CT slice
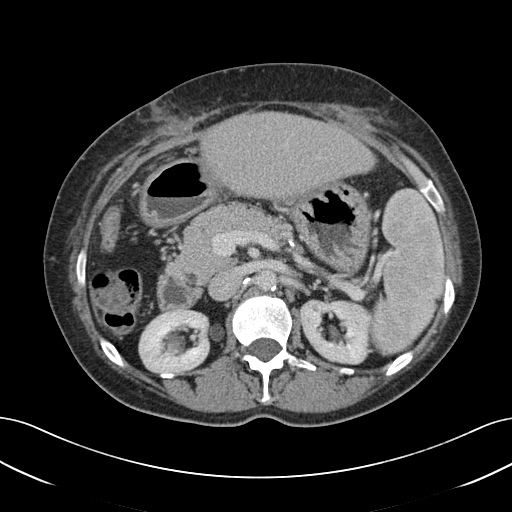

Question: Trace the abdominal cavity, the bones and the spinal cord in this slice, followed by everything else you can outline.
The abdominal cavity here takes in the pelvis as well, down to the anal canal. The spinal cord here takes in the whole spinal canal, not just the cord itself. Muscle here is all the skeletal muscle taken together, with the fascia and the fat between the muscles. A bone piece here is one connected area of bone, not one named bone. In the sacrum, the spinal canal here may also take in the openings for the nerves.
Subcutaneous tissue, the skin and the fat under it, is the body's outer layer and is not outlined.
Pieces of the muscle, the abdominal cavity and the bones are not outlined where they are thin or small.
Answer: Outlines (x, y in pixels):
abdominal cavity: [[273,104],[342,122],[416,184],[436,212],[445,254],[437,313],[411,349],[384,365],[354,369],[305,349],[297,306],[290,311],[280,297],[256,294],[226,316],[219,356],[182,375],[151,377],[128,362],[94,321],[86,264],[96,219],[148,159]]
bones 1: [[265,294],[283,300],[290,312],[292,327],[286,344],[287,350],[316,368],[311,370],[292,367],[285,361],[281,368],[270,372],[270,399],[263,403],[260,401],[262,376],[258,371],[250,369],[246,361],[241,360],[245,351],[233,333],[231,319],[241,301]], around a hole outlined by [[260,338],[269,338],[270,339],[272,339],[276,341],[280,346],[280,350],[270,359],[266,361],[263,361],[259,358],[258,358],[256,356],[253,355],[250,352],[249,350],[249,347],[250,345],[255,340],[257,339],[259,339]]
bones 2: [[403,156],[405,156],[409,158],[427,177],[431,179],[433,182],[433,184],[435,186],[436,189],[443,200],[444,206],[445,207],[445,211],[444,212],[442,213],[438,213],[435,210],[430,202],[426,198],[424,194],[420,191],[416,182],[401,159]]
bones 3: [[100,336],[103,336],[106,339],[107,339],[115,347],[117,351],[122,357],[123,359],[123,361],[125,363],[125,366],[124,367],[121,367],[119,366],[117,364],[111,361],[107,357],[107,356],[104,353],[100,345],[100,343],[99,342],[99,337]]
bones 4: [[412,349],[413,350],[413,355],[412,356],[412,358],[411,360],[404,367],[403,367],[401,369],[400,369],[398,371],[397,371],[395,373],[391,375],[386,375],[385,374],[386,367],[389,363],[390,363],[399,355],[409,350],[411,350]]
bones 5: [[82,248],[86,248],[86,263],[85,264],[85,285],[84,286],[84,287],[82,287],[81,286],[80,286],[78,284],[78,282],[77,281],[77,277],[76,276],[76,262],[77,261],[77,256],[78,255],[78,254],[79,253],[79,252],[80,251],[80,250]]
bones 6: [[446,276],[448,276],[450,278],[450,279],[453,284],[453,288],[454,289],[454,293],[455,294],[455,298],[454,299],[453,304],[452,305],[450,310],[447,314],[445,314],[443,312],[443,298],[444,297],[444,291],[445,290],[445,278],[446,277]]
spinal cord: [[260,338],[269,338],[270,339],[272,339],[276,341],[280,346],[280,350],[270,359],[266,361],[263,361],[259,358],[258,358],[256,356],[253,355],[250,352],[249,350],[249,347],[250,345],[255,340],[257,339],[259,339]]
muscle: [[274,99],[366,107],[378,127],[418,151],[437,173],[450,199],[460,238],[462,283],[456,297],[454,284],[446,275],[446,254],[437,215],[446,211],[444,200],[432,179],[409,157],[403,155],[400,159],[414,182],[342,121],[286,104],[262,105],[204,128],[193,140],[145,160],[103,206],[95,219],[87,249],[82,247],[76,256],[76,281],[80,287],[85,286],[89,309],[101,334],[99,345],[111,362],[124,368],[124,359],[155,379],[175,378],[203,368],[223,353],[228,334],[226,319],[232,313],[231,330],[244,351],[240,360],[260,374],[259,401],[264,404],[271,399],[269,382],[273,370],[281,369],[285,362],[292,368],[311,371],[317,368],[287,348],[293,327],[292,307],[299,311],[304,349],[338,366],[336,370],[347,376],[355,370],[385,365],[386,376],[395,374],[412,360],[413,348],[432,325],[442,302],[445,315],[455,299],[455,307],[428,355],[383,388],[347,407],[315,413],[272,405],[241,411],[194,410],[146,390],[116,372],[96,354],[74,309],[67,244],[90,186],[113,157],[169,118],[189,110]]
torso: [[264,62],[324,63],[361,72],[384,85],[431,126],[476,216],[482,249],[476,301],[456,341],[425,378],[394,401],[353,419],[295,427],[261,417],[216,427],[138,411],[110,396],[87,375],[50,308],[42,255],[55,197],[80,154],[124,115],[195,76]]